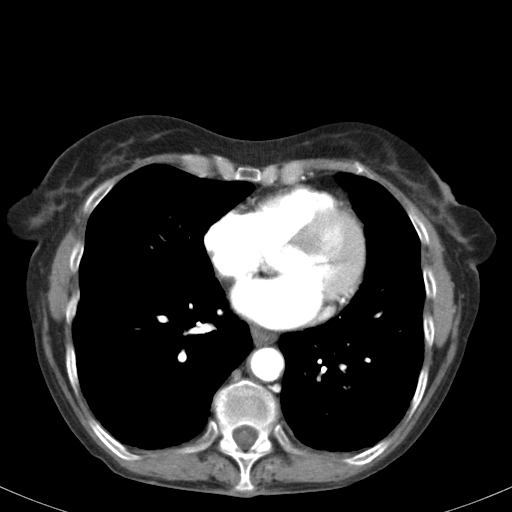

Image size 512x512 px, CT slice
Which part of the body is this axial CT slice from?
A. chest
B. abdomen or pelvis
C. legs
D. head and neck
Answer: A. chest
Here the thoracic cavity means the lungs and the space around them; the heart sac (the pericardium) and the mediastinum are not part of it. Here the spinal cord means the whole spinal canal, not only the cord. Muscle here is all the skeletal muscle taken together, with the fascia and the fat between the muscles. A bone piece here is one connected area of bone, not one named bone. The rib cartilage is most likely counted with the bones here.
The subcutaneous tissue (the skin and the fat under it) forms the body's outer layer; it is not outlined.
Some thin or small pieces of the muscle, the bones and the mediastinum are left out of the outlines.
{"bones":[{"outer":[[243,379],[262,386],[277,400],[278,421],[304,452],[288,452],[273,439],[272,451],[250,468],[253,489],[238,491],[235,486],[240,480],[240,468],[218,449],[216,441],[200,451],[181,453],[176,449],[205,431],[208,421],[214,418],[212,402],[216,392]],"hole":[[242,426],[248,426],[249,427],[251,427],[253,428],[256,431],[257,433],[257,436],[254,442],[246,450],[244,450],[242,449],[237,444],[237,443],[235,441],[233,437],[233,432],[234,430]]},[[186,154],[209,158],[213,155],[219,155],[236,167],[244,166],[263,169],[270,165],[279,167],[292,161],[302,161],[306,166],[305,173],[298,180],[289,183],[276,181],[267,184],[259,181],[239,179],[225,180],[215,173],[201,177],[185,170],[181,157]],[[91,416],[93,417],[113,438],[124,445],[128,450],[135,454],[139,455],[141,457],[139,459],[136,459],[135,460],[126,460],[125,459],[121,458],[115,453],[114,453],[100,440],[100,439],[95,434],[95,433],[91,428],[88,422],[89,417]],[[386,437],[390,439],[390,443],[388,445],[388,446],[380,454],[379,454],[369,462],[367,462],[364,464],[357,465],[356,464],[350,464],[349,463],[344,462],[342,460],[346,457],[350,457],[357,453],[359,453],[368,448],[372,447],[378,442],[379,442]],[[332,161],[349,161],[350,162],[358,161],[362,165],[363,165],[372,175],[374,176],[376,180],[373,180],[363,175],[358,175],[348,171],[342,171],[341,170],[334,170],[333,169],[326,169],[325,168],[322,168],[321,167],[324,164],[326,164]],[[112,178],[113,178],[115,181],[114,185],[101,199],[101,200],[97,204],[97,205],[92,210],[90,214],[87,214],[85,213],[83,211],[83,208],[84,207],[84,204],[86,200],[88,198],[88,197],[96,188],[97,188],[107,180],[111,179]],[[69,343],[73,344],[74,352],[75,353],[75,363],[76,364],[77,376],[78,377],[78,381],[79,382],[79,387],[78,388],[77,393],[75,393],[70,383],[70,381],[68,377],[68,374],[66,370],[66,364],[65,363],[65,349],[66,348],[66,345]],[[423,365],[426,365],[428,368],[428,378],[427,379],[427,383],[426,384],[423,395],[418,405],[416,407],[412,415],[408,418],[408,413],[407,411],[410,406],[411,400],[414,395],[414,393],[417,386],[417,383],[418,382],[419,374],[420,373],[421,368]],[[408,206],[411,206],[413,208],[417,216],[423,222],[425,226],[425,228],[427,231],[428,236],[429,237],[429,244],[428,245],[424,245],[421,243],[420,241],[420,239],[417,234],[417,232],[410,218],[408,216],[408,214],[405,209],[406,207]],[[426,265],[429,266],[431,268],[432,273],[435,280],[435,287],[436,288],[436,290],[435,291],[435,297],[433,299],[432,298],[429,298],[428,299],[426,298],[426,294],[425,293],[425,285],[424,284],[424,279],[423,278],[423,273],[422,272],[422,267]],[[424,313],[429,313],[432,316],[432,318],[433,319],[433,325],[434,326],[434,333],[433,334],[433,342],[432,343],[432,345],[430,347],[427,347],[425,345],[425,343],[424,342],[424,330],[423,329],[423,314]],[[77,288],[79,289],[79,299],[77,303],[77,306],[76,307],[76,311],[75,312],[75,315],[70,325],[68,324],[66,321],[66,306],[67,305],[67,303],[71,295],[77,289]]],"thoracic_cavity":[[[154,163],[168,164],[201,178],[252,184],[252,191],[212,223],[203,236],[227,306],[246,323],[252,346],[213,395],[213,418],[207,421],[199,436],[180,445],[144,449],[123,444],[95,418],[80,387],[72,323],[80,299],[78,271],[90,215],[122,178]],[[339,171],[377,182],[405,210],[420,242],[425,294],[422,365],[409,406],[385,437],[370,447],[346,455],[317,452],[293,441],[279,421],[286,367],[279,346],[280,337],[318,326],[337,316],[364,279],[367,255],[364,224],[353,208],[348,190],[336,178]]],"muscle":[[[360,162],[399,188],[415,204],[439,238],[455,272],[461,294],[461,316],[454,357],[410,432],[376,464],[339,481],[289,483],[276,481],[252,492],[242,492],[254,489],[250,479],[251,468],[258,459],[273,451],[273,440],[284,451],[292,454],[300,455],[305,452],[294,442],[317,453],[336,456],[352,455],[341,460],[350,465],[360,466],[369,463],[389,446],[391,439],[387,436],[406,412],[408,419],[413,415],[424,395],[429,378],[429,368],[423,364],[424,347],[430,348],[433,345],[435,326],[433,316],[429,312],[423,313],[423,310],[425,299],[433,300],[437,290],[432,268],[427,264],[421,265],[421,244],[428,246],[430,237],[424,222],[414,208],[411,205],[404,208]],[[91,192],[82,208],[89,215],[84,239],[75,242],[69,255],[70,271],[78,273],[78,287],[65,306],[73,343],[67,343],[64,349],[69,383],[75,394],[80,388],[93,415],[87,422],[99,440],[126,461],[142,457],[126,446],[144,450],[180,446],[176,452],[189,454],[204,451],[216,442],[217,449],[239,468],[234,486],[237,491],[223,482],[167,480],[129,471],[92,439],[57,381],[42,343],[40,294],[56,249]],[[173,152],[175,153],[200,153],[201,154],[213,153],[216,154],[213,154],[211,157],[192,153],[183,154],[180,157],[183,169],[168,163],[154,162],[143,165],[135,169],[122,177],[117,182],[113,177],[107,179],[128,168],[138,158],[143,158],[154,154]]],"mediastinum":[[[247,323],[273,332],[289,332],[283,333],[279,337],[278,340],[278,346],[281,353],[283,355],[285,362],[285,367],[279,393],[279,401],[265,387],[246,378],[243,378],[237,381],[231,382],[220,387],[231,373],[238,367],[252,349],[253,342]],[[320,170],[333,170],[334,171],[338,171],[335,175],[335,178],[338,183],[343,188],[347,190],[349,199],[347,194],[342,189],[338,187],[334,187],[331,185],[324,185],[321,183],[312,182],[311,181],[297,181],[305,174],[309,174],[314,171],[319,171]]],"pericardium":[[[293,182],[311,182],[331,186],[342,190],[346,194],[353,210],[363,224],[366,251],[365,266],[363,279],[358,289],[337,315],[311,327],[289,331],[273,331],[247,322],[229,308],[224,290],[214,274],[204,244],[204,236],[212,224],[257,189],[262,186]]],"spinal_cord":[[[242,426],[248,426],[249,427],[251,427],[253,428],[256,431],[257,433],[257,436],[254,442],[246,450],[244,450],[242,449],[237,444],[237,443],[235,441],[233,437],[233,432],[234,430]]],"torso":[[[138,114],[171,115],[242,139],[342,120],[373,123],[413,145],[457,201],[492,226],[497,242],[477,268],[479,309],[459,368],[427,427],[387,466],[341,488],[236,497],[125,478],[68,427],[40,370],[26,302],[35,245],[14,239],[4,217],[69,145]]]}